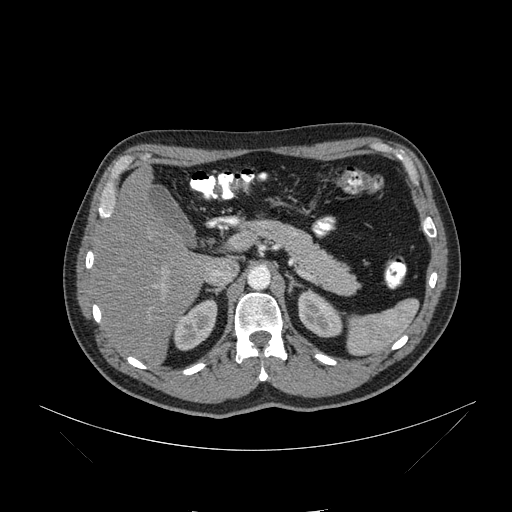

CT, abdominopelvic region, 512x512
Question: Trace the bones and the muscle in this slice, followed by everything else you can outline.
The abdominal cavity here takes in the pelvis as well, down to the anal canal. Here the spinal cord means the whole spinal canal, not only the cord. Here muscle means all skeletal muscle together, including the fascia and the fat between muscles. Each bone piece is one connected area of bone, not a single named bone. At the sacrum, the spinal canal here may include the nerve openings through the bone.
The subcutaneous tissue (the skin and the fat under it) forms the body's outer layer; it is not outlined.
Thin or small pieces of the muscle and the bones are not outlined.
Answer: Outlines (x, y in pixels):
bones 1: 260,381 265,381 268,377 264,368 263,360 266,357 272,355 283,360 287,358 281,330 283,320 279,306 271,295 262,292 249,292 240,297 235,308 235,360 240,363 246,357 258,357 260,359 260,372 258,375; inner edge: 259,347 260,347 261,346 263,346 265,344 266,344 267,343 268,340 270,338 270,335 269,334 269,333 268,333 265,331 258,331 257,332 255,332 250,335 250,339 255,344 255,345 256,346 258,346
bones 2: 101,218 106,218 108,217 112,211 113,206 115,203 115,194 116,193 115,181 119,178 119,176 128,167 129,164 133,161 134,157 130,154 121,156 115,162 114,165 111,168 109,177 102,190 99,199 98,213
bones 3: 414,185 419,185 419,176 418,175 417,170 415,167 415,165 413,161 402,149 394,148 385,143 382,143 381,142 372,142 370,144 370,147 377,151 381,151 382,152 385,152 386,153 391,153 402,164 411,182
bones 4: 431,238 434,238 435,237 436,237 436,236 437,235 437,232 436,231 436,228 435,227 435,225 434,224 431,217 430,217 429,216 426,216 421,221 421,225 422,226 422,229 423,230 424,233 427,236 428,236
bones 5: 186,375 189,375 190,374 195,373 196,372 201,370 206,366 206,363 205,363 204,362 198,362 197,363 192,364 191,365 190,365 189,366 188,366 187,367 182,369 181,372 183,374 185,374
bones 6: 330,365 335,365 337,363 337,361 331,356 329,356 328,355 327,355 326,354 324,354 321,352 317,352 316,353 315,353 313,355 314,358 315,358 317,360 318,360 321,363 323,363 324,364 329,364
bones 7: 142,369 147,369 148,368 148,367 145,364 144,364 142,362 141,362 139,360 136,359 132,356 127,356 126,359 127,360 127,361 130,364 131,364 133,366 135,366 136,367 138,367 139,368 141,368
bones 8: 391,350 395,350 396,349 397,349 398,348 399,348 400,347 401,347 407,341 407,340 408,339 408,336 406,334 404,334 403,335 402,335 395,342 394,342 394,343 393,344 392,344 392,345 390,347 391,348
muscle: 201,403 238,398 261,382 257,379 258,358 246,358 240,364 234,360 233,323 224,339 198,361 206,362 207,366 186,376 181,369 133,367 103,322 97,324 93,320 91,305 96,301 92,271 85,268 84,257 88,249 95,249 97,234 105,221 97,213 98,199 114,162 127,153 135,157 123,174 147,164 192,165 254,151 333,159 375,152 369,147 372,141 402,148 412,158 420,176 420,185 414,186 401,164 391,154 382,153 396,162 408,181 421,220 431,216 438,232 434,239 427,237 431,258 425,295 418,315 406,332 408,341 395,351 387,348 368,358 324,365 313,358 317,351 292,330 283,315 288,358 283,361 271,356 264,360 269,376 266,382 289,394 323,397 351,390 407,355 426,332 445,288 448,251 443,223 425,169 409,148 374,136 244,149 141,143 127,148 110,163 93,194 77,255 76,294 83,320 110,365 167,394, around holes outlined by 431,288 433,288 435,286 435,284 436,283 436,280 437,279 437,273 436,272 436,271 433,271 430,274 430,275 429,276 429,280 428,281 428,282 429,283 429,285 430,286 430,287 and by 141,160 144,160 145,159 146,159 148,157 149,157 150,156 150,154 149,153 144,153 143,154 142,154 141,155 140,155 140,156 139,157 140,158 140,159
torso: 216,419 268,407 311,412 363,401 403,379 443,333 454,311 460,287 457,230 431,166 403,135 365,122 329,122 254,131 151,129 122,139 101,160 76,212 64,251 63,296 72,332 94,367 118,389 164,409
abdominal cavity: 171,368 210,352 231,329 235,305 249,291 271,294 293,330 336,359 374,355 405,333 421,307 430,247 395,162 379,152 333,160 254,152 192,166 147,165 121,175 116,203 94,251 96,300 124,352 147,365
spinal cord: 259,347 260,347 261,346 263,346 265,344 266,344 267,343 268,340 270,338 270,335 269,334 269,333 268,333 265,331 258,331 257,332 255,332 250,335 250,339 255,344 255,345 256,346 258,346